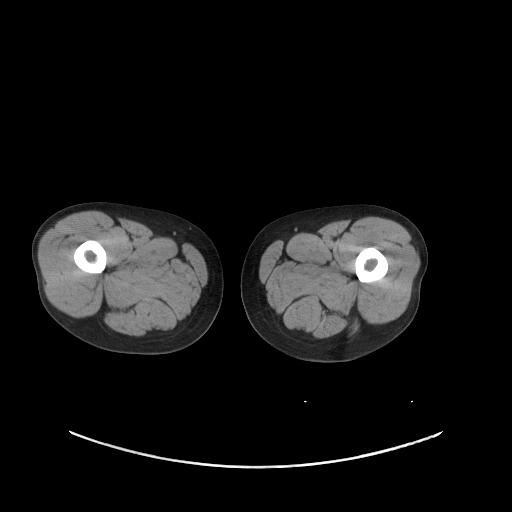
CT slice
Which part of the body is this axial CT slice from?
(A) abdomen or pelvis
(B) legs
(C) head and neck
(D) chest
Answer: (B) legs
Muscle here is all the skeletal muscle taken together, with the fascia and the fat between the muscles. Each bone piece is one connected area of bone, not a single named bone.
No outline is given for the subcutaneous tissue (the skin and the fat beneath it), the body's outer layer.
The bones appear in 2 outlined pieces: piece 1: (369, 246) (377, 248) (387, 258) (387, 261) (388, 262) (388, 268) (385, 275) (381, 279) (374, 281) (373, 282) (367, 283) (366, 282) (361, 282) (358, 279) (355, 273) (354, 266) (355, 265) (355, 259) (358, 254) (361, 251) (361, 250) (362, 250) (365, 247) (368, 247); piece 2: (88, 239) (90, 240) (94, 240) (98, 242) (104, 248) (106, 252) (106, 255) (107, 256) (107, 261) (106, 262) (106, 265) (103, 271) (100, 273) (88, 273) (87, 272) (85, 272) (80, 269) (74, 262) (74, 260) (73, 259) (73, 252) (74, 250) (78, 245). The left leg is outlined by (360, 203) (391, 208) (410, 219) (421, 232) (427, 247) (428, 264) (421, 281) (417, 312) (407, 328) (395, 339) (358, 359) (346, 362) (317, 363) (290, 357) (263, 340) (251, 326) (244, 311) (240, 295) (240, 274) (247, 249) (256, 234) (266, 224) (280, 216) (315, 207). The right leg is outlined by (88, 201) (118, 202) (171, 212) (191, 221) (210, 237) (221, 260) (224, 289) (222, 302) (213, 323) (197, 341) (184, 349) (167, 354) (145, 355) (112, 352) (97, 348) (78, 339) (48, 314) (39, 298) (36, 276) (31, 259) (33, 236) (41, 223) (57, 210) (72, 204). The muscle appears in 2 outlined pieces: piece 1: (93, 209) (104, 210) (177, 232) (195, 241) (208, 255) (212, 271) (212, 280) (209, 290) (194, 316) (171, 338) (150, 343) (126, 339) (100, 328) (93, 321) (73, 318) (63, 313) (53, 306) (47, 299) (37, 259) (37, 248) (40, 238) (61, 218) (71, 213), around a hole outlined by (88, 239) (90, 240) (94, 240) (98, 242) (104, 248) (106, 252) (106, 255) (107, 256) (107, 261) (106, 262) (106, 265) (103, 271) (100, 273) (88, 273) (87, 272) (85, 272) (80, 269) (74, 262) (74, 260) (73, 259) (73, 252) (74, 250) (78, 245); piece 2: (358, 215) (377, 215) (394, 220) (404, 226) (416, 241) (421, 258) (421, 268) (415, 278) (408, 306) (397, 325) (376, 336) (356, 342) (345, 343) (335, 347) (310, 345) (302, 341) (287, 338) (269, 328) (258, 306) (259, 262) (267, 246) (275, 239) (289, 233) (322, 222); inner edge: (369, 246) (377, 248) (387, 258) (387, 261) (388, 262) (388, 268) (385, 275) (381, 279) (374, 281) (373, 282) (367, 283) (366, 282) (361, 282) (358, 279) (355, 273) (354, 266) (355, 265) (355, 259) (358, 254) (361, 251) (361, 250) (362, 250) (365, 247) (368, 247).